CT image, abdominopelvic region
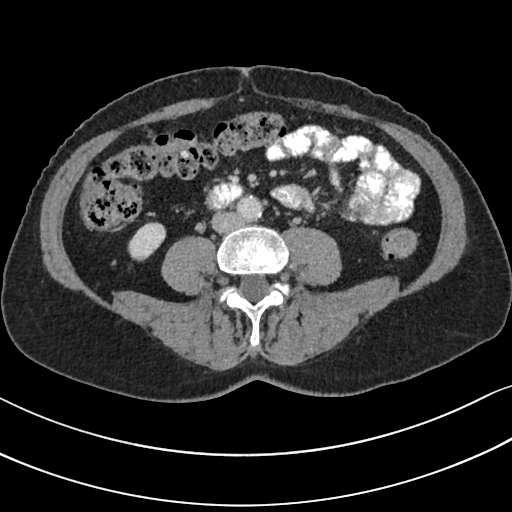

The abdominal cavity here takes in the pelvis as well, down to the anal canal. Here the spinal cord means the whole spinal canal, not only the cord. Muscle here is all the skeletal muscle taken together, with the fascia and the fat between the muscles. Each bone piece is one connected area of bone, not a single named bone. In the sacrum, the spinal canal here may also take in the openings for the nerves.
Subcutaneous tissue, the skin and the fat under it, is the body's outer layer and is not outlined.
Outlined structures:
spinal cord: [[253,274],[257,274],[258,275],[265,275],[270,282],[268,292],[266,294],[265,294],[259,300],[255,302],[252,302],[248,300],[245,297],[242,296],[240,294],[238,290],[238,287],[237,286],[238,285],[239,277],[240,276],[242,275],[252,275]]
bones: [[252,225],[277,231],[289,252],[287,263],[275,277],[289,285],[290,294],[284,297],[282,304],[270,306],[261,315],[259,344],[256,346],[250,345],[250,319],[240,309],[218,301],[227,285],[228,276],[219,269],[216,261],[217,249],[223,237],[236,229]], around a hole outlined by [[253,274],[257,274],[258,275],[265,275],[270,282],[268,292],[266,294],[265,294],[259,300],[255,302],[252,302],[248,300],[245,297],[242,296],[240,294],[238,290],[238,287],[237,286],[238,285],[239,277],[240,276],[242,275],[252,275]]
torso: [[257,64],[351,79],[398,101],[448,144],[476,181],[507,251],[511,307],[502,330],[439,367],[348,396],[306,395],[254,380],[203,401],[151,401],[78,382],[24,356],[10,340],[0,313],[2,272],[31,189],[57,147],[98,108],[144,83],[196,68]]
abdominal cavity: [[242,92],[368,122],[413,157],[441,210],[433,255],[415,279],[400,287],[398,276],[383,275],[321,289],[343,267],[331,235],[252,224],[217,248],[200,235],[167,248],[160,274],[187,299],[114,289],[109,300],[85,283],[62,232],[92,159],[134,127]]
muscle: [[239,89],[242,90],[257,89],[271,94],[280,94],[289,97],[293,96],[294,97],[309,98],[337,105],[346,105],[351,109],[360,113],[373,116],[385,121],[399,124],[419,134],[439,152],[443,159],[448,164],[459,184],[464,205],[467,242],[465,245],[464,252],[462,254],[459,262],[451,271],[444,275],[438,281],[431,283],[423,289],[413,294],[393,301],[382,310],[370,317],[360,327],[357,329],[353,329],[349,335],[335,348],[327,352],[321,353],[302,363],[292,366],[278,365],[258,356],[251,361],[250,360],[249,361],[248,359],[246,361],[244,361],[243,363],[233,368],[218,371],[212,370],[201,365],[194,364],[184,359],[181,359],[173,353],[169,348],[162,344],[157,338],[149,335],[148,332],[139,325],[126,320],[119,315],[98,305],[81,292],[68,289],[54,280],[43,263],[42,251],[40,245],[40,236],[39,235],[40,232],[39,222],[42,202],[52,178],[60,166],[70,155],[80,145],[86,141],[101,133],[111,129],[114,129],[161,107],[175,103],[178,101],[188,100],[192,98],[217,97]], around a hole outlined by [[242,92],[368,122],[413,157],[441,210],[415,279],[321,289],[342,271],[336,240],[289,227],[275,277],[290,294],[261,315],[256,346],[250,319],[218,301],[228,276],[208,237],[177,239],[161,261],[187,299],[109,300],[85,283],[62,232],[92,159]]